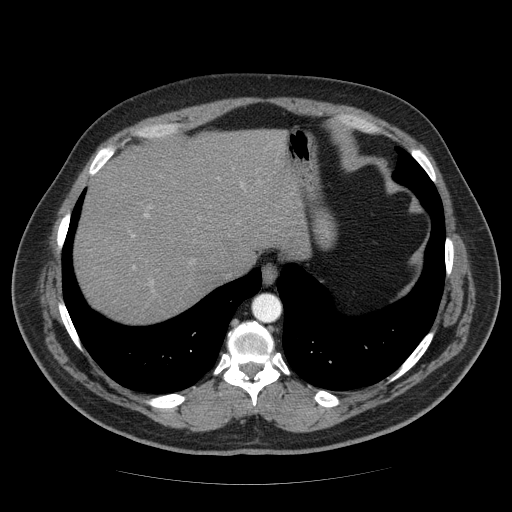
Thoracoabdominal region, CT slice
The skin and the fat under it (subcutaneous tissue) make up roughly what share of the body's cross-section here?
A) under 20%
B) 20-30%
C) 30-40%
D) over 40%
B) 20-30%
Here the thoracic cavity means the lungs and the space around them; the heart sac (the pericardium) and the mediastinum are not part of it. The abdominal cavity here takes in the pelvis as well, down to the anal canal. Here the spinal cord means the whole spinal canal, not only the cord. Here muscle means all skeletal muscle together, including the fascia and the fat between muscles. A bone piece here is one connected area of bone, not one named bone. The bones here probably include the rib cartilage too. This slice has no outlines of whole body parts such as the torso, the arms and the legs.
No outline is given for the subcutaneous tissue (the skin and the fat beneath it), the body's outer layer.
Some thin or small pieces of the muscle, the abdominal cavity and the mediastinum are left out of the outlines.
The muscle is outlined by 240,96 258,96 259,97 295,96 326,101 336,104 346,104 354,106 368,111 398,127 423,144 433,157 449,192 452,207 458,222 459,231 466,246 468,258 470,262 471,273 475,286 476,302 472,313 472,319 469,327 467,340 463,348 456,355 435,369 421,381 391,400 323,429 308,432 287,431 269,423 260,415 245,416 223,427 207,431 191,431 169,427 151,419 138,411 106,400 79,383 60,366 47,348 44,341 43,320 37,303 37,286 45,258 46,244 62,202 70,190 78,174 98,145 123,128 150,116 154,116 187,106 210,102 218,99 with a hole at 258,103 310,118 358,115 382,128 392,142 406,151 412,147 426,155 436,177 445,235 454,248 451,272 444,278 430,327 435,330 433,338 401,376 388,383 386,377 367,386 332,391 340,401 332,407 318,404 313,397 319,388 293,371 265,385 257,394 255,406 243,388 224,381 221,373 213,376 210,371 177,392 185,396 179,405 151,406 144,400 154,393 136,391 112,379 86,350 77,348 66,330 58,308 59,299 64,298 62,252 57,249 60,221 67,211 72,212 92,179 89,167 101,148 113,144 117,151 140,140 132,134 146,125 195,126. The bones appear in 11 outlined pieces: piece 1: 253,320 265,327 271,334 275,349 281,353 291,371 290,375 282,373 276,381 265,385 257,394 255,406 252,405 249,394 243,388 224,381 221,373 216,376 211,373 221,353 227,350 225,341 228,331 244,321 with a hole at 249,362 252,362 253,363 255,363 256,364 258,364 259,365 260,365 261,366 261,368 260,369 260,370 259,370 251,378 248,375 247,375 241,369 241,366 242,365 244,365 245,364 246,364 247,363 248,363; piece 2: 341,113 354,114 363,117 367,120 373,122 382,128 383,130 388,134 385,134 384,133 375,133 374,134 370,134 369,133 364,133 356,129 346,127 343,125 332,125 328,123 326,121 326,119; piece 3: 156,123 181,123 182,124 193,125 193,126 190,128 182,129 176,133 173,133 170,135 166,135 163,137 156,137 155,138 145,138 144,137 141,138 134,136 132,134 133,132 135,130 139,129 146,125 150,125; piece 4: 430,330 435,330 435,332 434,333 434,335 431,342 421,357 413,366 412,366 401,376 395,380 388,383 387,382 387,378 390,376 403,363 403,362 410,355 410,354 415,349 421,340; piece 5: 176,392 184,395 185,396 185,400 179,405 177,405 174,407 159,408 158,407 154,407 153,406 151,406 147,404 144,401 146,398 148,398 151,396 154,396 155,395 158,395 159,394 168,394 169,393 175,393; piece 6: 60,298 63,299 63,301 65,304 65,306 68,312 68,314 70,317 70,319 79,337 80,342 85,350 83,352 80,351 74,344 69,334 67,332 66,328 62,321 62,319 59,312 59,309 58,308 58,302; piece 7: 109,144 113,144 114,145 116,145 117,148 115,152 113,154 113,155 111,156 111,157 94,175 90,175 88,173 88,171 89,170 89,167 94,157 96,155 97,152 101,148 103,147 105,147; piece 8: 412,147 413,148 417,148 418,149 420,149 426,155 426,156 428,158 429,161 431,163 433,167 433,169 435,173 435,176 436,177 436,182 435,183 434,183 431,180 431,179 423,169 423,168 409,152 409,149; piece 9: 317,389 323,389 324,390 329,391 333,394 336,395 339,398 339,400 340,401 339,404 336,406 333,406 332,407 325,407 324,406 322,406 321,405 318,404 314,400 314,398 313,397 314,396 314,394; piece 10: 67,211 70,211 71,213 70,214 70,219 69,220 68,228 67,229 67,232 65,236 65,239 64,240 64,242 63,243 61,251 59,252 57,249 57,231 58,230 58,227 59,226 60,221 62,217 67,212; piece 11: 446,236 448,236 451,239 451,240 453,243 453,247 454,248 454,252 453,253 453,263 452,264 452,267 451,268 451,272 450,273 450,274 448,277 446,277 446,273 445,272 445,238 446,237. The abdominal cavity is outlined by 258,103 356,130 360,151 389,163 392,179 430,218 423,266 411,289 384,307 347,314 334,308 311,274 295,263 284,266 278,252 269,251 247,273 158,323 124,325 92,309 74,273 72,248 93,176 126,144. The thoracic cavity appears in 2 outlined pieces: piece 1: 397,145 435,185 442,204 445,277 436,315 414,349 385,378 344,391 319,388 300,378 283,357 284,308 277,279 286,265 301,267 325,288 333,308 347,315 384,308 412,289 424,266 431,218 415,194 392,177; piece 2: 85,187 71,248 73,273 87,305 113,322 131,327 164,322 191,308 216,288 260,268 259,290 239,304 228,324 226,350 220,353 212,369 193,385 158,394 133,390 112,379 82,344 63,297 62,249 72,211. The mediastinum appears in 2 outlined pieces: piece 1: 269,252 277,252 277,260 283,263 283,267 275,283 283,308 280,344 281,352 276,349 276,342 269,330 256,320 244,320 229,329 229,324 240,304 260,290 262,285 262,270 261,267 256,266 256,264 263,255; piece 2: 355,131 358,131 361,133 370,135 377,135 378,136 385,135 392,142 395,143 396,145 394,147 394,150 396,153 396,161 393,169 391,169 390,163 383,156 381,156 376,153 365,153 362,152 357,141 355,135. The spinal cord is outlined by 249,362 252,362 253,363 255,363 256,364 258,364 259,365 260,365 261,366 261,368 260,369 260,370 259,370 251,378 248,375 247,375 241,369 241,366 242,365 244,365 245,364 246,364 247,363 248,363.